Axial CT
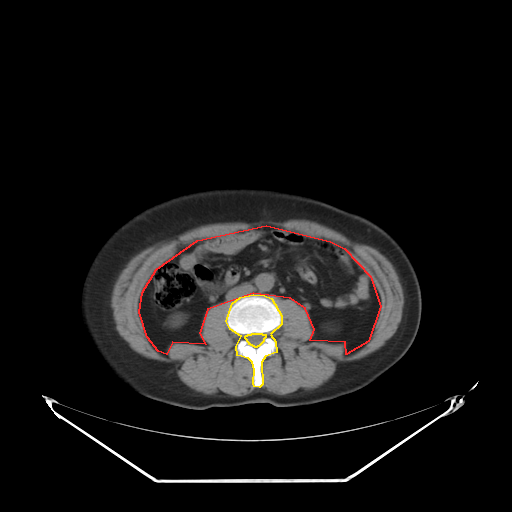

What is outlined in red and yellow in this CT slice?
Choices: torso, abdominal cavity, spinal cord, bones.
red: abdominal cavity; yellow: bones.
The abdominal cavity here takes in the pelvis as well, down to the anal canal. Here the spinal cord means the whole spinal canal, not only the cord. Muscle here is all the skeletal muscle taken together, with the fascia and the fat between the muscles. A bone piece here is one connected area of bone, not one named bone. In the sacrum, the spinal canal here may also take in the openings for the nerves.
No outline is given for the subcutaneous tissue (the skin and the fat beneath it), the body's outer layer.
The abdominal cavity is outlined by 266,225 330,241 344,248 370,276 380,306 368,341 346,354 345,342 310,340 314,329 305,308 290,298 253,293 207,309 199,333 205,344 172,342 166,354 158,351 147,337 139,312 142,292 156,269 197,240. The bones are outlined by 253,294 264,295 271,298 281,315 281,324 270,334 275,341 276,352 265,356 261,362 262,384 259,387 254,386 253,383 254,369 252,362 248,358 237,355 236,346 241,336 230,329 226,321 232,303 240,297 with a hole at 252,333 261,333 262,334 265,334 265,337 263,339 263,341 258,346 257,346 256,347 255,347 254,346 253,346 252,345 251,345 250,344 249,344 249,343 245,338 245,336 246,335 247,335 248,334 251,334. The muscle is outlined by 289,219 306,219 325,225 352,241 377,249 393,265 403,289 404,305 401,321 395,333 380,348 360,359 339,363 334,374 326,382 310,390 298,389 284,395 277,395 262,390 253,391 243,396 232,396 223,392 209,395 191,389 183,383 172,363 147,358 134,351 118,333 110,305 112,290 120,272 136,254 149,246 171,239 201,225 219,222 285,221 with a hole at 266,225 330,241 370,276 380,306 368,341 346,354 345,342 310,340 308,311 275,297 281,324 270,334 276,352 261,362 259,387 252,362 237,355 229,301 205,312 205,344 158,351 139,312 156,269 197,240. The torso is outlined by 222,186 261,186 308,194 354,210 387,230 409,256 422,292 420,326 406,354 362,389 335,399 298,406 279,407 265,402 191,409 146,397 116,378 94,351 80,315 82,285 92,259 108,236 143,208 180,193. The spinal cord is outlined by 252,333 261,333 262,334 265,334 265,337 263,339 263,341 258,346 257,346 256,347 255,347 254,346 253,346 252,345 251,345 250,344 249,344 249,343 245,338 245,336 246,335 247,335 248,334 251,334.